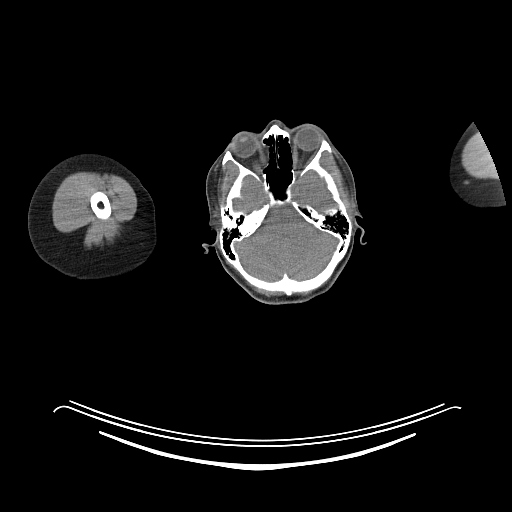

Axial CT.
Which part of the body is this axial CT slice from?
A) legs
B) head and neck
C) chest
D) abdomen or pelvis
Answer: B) head and neck
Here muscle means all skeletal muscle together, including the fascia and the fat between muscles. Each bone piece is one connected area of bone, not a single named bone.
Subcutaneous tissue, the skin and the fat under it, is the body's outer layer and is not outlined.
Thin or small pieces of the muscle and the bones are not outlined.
{"muscle":[{"outer":[[77,171],[94,171],[101,174],[112,173],[121,176],[131,185],[137,197],[137,210],[135,216],[132,220],[125,224],[125,231],[112,244],[105,244],[99,249],[86,249],[79,240],[68,234],[61,233],[56,230],[52,222],[51,206],[55,190],[67,175]],"hole":[[96,191],[102,191],[104,192],[109,200],[109,203],[110,204],[110,207],[111,208],[111,213],[110,215],[106,219],[100,219],[98,218],[92,210],[92,208],[90,204],[90,197],[91,195],[94,192]]},[[476,132],[479,132],[481,134],[483,138],[483,141],[486,145],[491,155],[493,162],[498,170],[499,177],[497,179],[490,179],[489,178],[487,179],[474,179],[470,177],[464,171],[463,168],[461,166],[461,152],[462,151],[462,149],[467,140]],[[332,150],[333,153],[336,154],[338,156],[351,188],[351,194],[350,196],[353,204],[353,212],[351,217],[346,209],[346,206],[341,199],[338,187],[335,182],[333,176],[324,167],[323,167],[320,163],[320,159],[323,152],[326,151],[329,153],[331,153]],[[221,161],[221,165],[222,166],[223,166],[228,161],[231,161],[237,167],[238,169],[238,173],[234,178],[226,194],[224,201],[221,202],[219,204],[220,222],[218,218],[214,215],[214,201],[213,200],[213,197],[214,196],[214,190],[215,189],[214,169]],[[228,263],[229,263],[241,275],[241,276],[251,285],[259,289],[262,289],[266,291],[271,291],[272,292],[282,292],[284,295],[273,295],[272,296],[267,296],[258,292],[256,292],[249,285],[248,285],[237,273],[236,273],[236,272],[228,264]]],"left_arm":[[[471,122],[474,123],[478,131],[481,134],[483,138],[483,141],[486,145],[491,155],[493,162],[498,170],[499,180],[505,200],[505,205],[504,206],[494,208],[478,208],[471,206],[462,201],[456,195],[448,181],[448,167],[451,152],[457,140],[466,127]]],"brain":[[[285,205],[290,205],[306,222],[319,231],[329,234],[335,238],[337,242],[324,267],[313,276],[297,279],[284,272],[277,279],[264,279],[252,274],[246,269],[240,259],[240,256],[236,249],[236,244],[248,238],[256,231],[263,223],[271,208],[275,206]],[[310,171],[313,171],[320,178],[323,179],[325,183],[325,187],[329,192],[332,200],[335,203],[335,205],[327,207],[323,209],[322,211],[319,211],[309,203],[300,204],[296,199],[294,199],[293,197],[294,196],[294,191],[298,186],[298,184],[301,179]],[[248,176],[253,178],[261,185],[263,193],[267,198],[267,201],[264,202],[259,207],[253,208],[250,211],[247,212],[242,209],[235,209],[233,204],[233,200],[234,199],[241,199],[242,198],[243,196],[242,195],[243,182],[244,181],[244,179]]],"right_arm":[[[84,152],[104,154],[114,158],[126,166],[139,178],[152,197],[155,206],[157,244],[153,253],[141,266],[118,277],[93,281],[80,281],[66,276],[40,259],[33,249],[29,239],[27,230],[27,213],[29,203],[36,186],[42,177],[58,162],[69,156]]],"head":[{"outer":[[272,119],[290,127],[312,123],[327,133],[353,174],[362,215],[356,220],[366,243],[360,243],[357,229],[351,256],[332,287],[298,304],[255,300],[224,270],[215,249],[210,246],[205,254],[202,246],[216,237],[205,193],[210,166],[237,132],[259,132]],"hole":[[270,136],[274,142],[272,146],[276,169],[280,167],[278,163],[280,155],[276,144],[279,142],[279,136],[286,138],[291,155],[291,179],[285,186],[282,197],[277,196],[272,190],[270,182],[268,181],[267,175],[264,171],[269,161],[269,146],[264,141]]}],"bones":[{"outer":[[322,138],[329,144],[331,152],[324,150],[319,163],[332,176],[340,199],[351,218],[352,228],[347,250],[330,277],[316,289],[286,295],[282,291],[259,288],[248,282],[226,260],[220,249],[217,237],[221,222],[220,204],[225,201],[239,173],[238,167],[231,160],[222,165],[223,156],[226,150],[230,150],[233,157],[247,168],[257,173],[264,169],[271,190],[277,197],[282,198],[292,179],[292,167],[302,170],[318,151]],"holes":[[[285,205],[290,205],[306,222],[319,231],[329,234],[335,238],[337,242],[324,267],[313,276],[297,279],[284,272],[277,279],[264,279],[252,274],[246,269],[240,259],[240,256],[236,249],[236,244],[248,238],[256,231],[263,223],[271,208],[275,206]],[[310,171],[313,171],[320,178],[323,179],[325,183],[325,187],[329,192],[332,200],[335,203],[335,205],[327,207],[323,209],[322,211],[319,211],[309,203],[300,204],[296,199],[294,199],[293,197],[294,196],[294,191],[298,186],[298,184],[301,179]],[[248,176],[253,178],[261,185],[263,193],[267,198],[267,201],[264,202],[259,207],[253,208],[250,211],[247,212],[242,209],[235,209],[233,204],[233,200],[234,199],[241,199],[242,198],[243,196],[242,195],[243,182],[244,181],[244,179]]]},[[96,191],[102,191],[104,192],[109,200],[109,203],[110,204],[110,207],[111,208],[111,213],[110,215],[106,219],[100,219],[98,218],[92,210],[92,208],[90,204],[90,197],[91,195],[94,192]],[[272,124],[277,124],[287,129],[290,133],[288,142],[286,137],[281,135],[277,137],[278,142],[275,144],[279,155],[277,160],[278,168],[276,168],[277,162],[273,137],[270,135],[263,141],[268,146],[268,157],[267,150],[261,143],[262,134]]]}